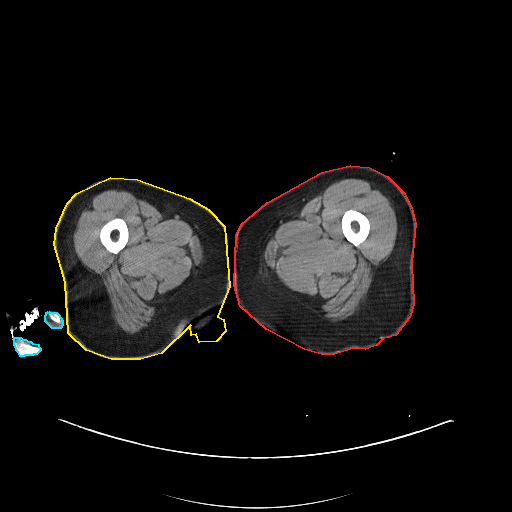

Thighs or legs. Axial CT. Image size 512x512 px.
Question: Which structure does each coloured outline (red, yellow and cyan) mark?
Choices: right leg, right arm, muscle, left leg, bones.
Answer: red: left leg; yellow: right leg; cyan: right arm.
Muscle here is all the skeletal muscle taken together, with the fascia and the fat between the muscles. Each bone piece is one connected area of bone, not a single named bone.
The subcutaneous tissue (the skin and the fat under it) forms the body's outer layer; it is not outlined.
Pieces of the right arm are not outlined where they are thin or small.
Outlines:
left leg: [[350,165],[369,167],[387,176],[403,192],[411,207],[415,223],[411,263],[413,304],[409,317],[395,335],[383,338],[376,345],[365,349],[353,348],[334,354],[321,354],[304,349],[266,329],[240,306],[234,285],[236,234],[241,224],[267,202],[321,172]]
right leg: [[110,177],[137,179],[189,198],[208,209],[224,226],[229,286],[217,316],[223,319],[225,331],[216,341],[199,342],[196,334],[191,335],[190,325],[161,353],[140,359],[111,359],[86,350],[68,333],[65,282],[54,244],[56,228],[67,203],[76,193]]
right arm 1: [[14,337],[20,337],[23,339],[25,339],[28,341],[30,341],[32,343],[38,344],[38,346],[40,348],[40,350],[36,354],[33,354],[32,355],[24,355],[23,356],[20,356],[18,352],[16,350],[15,346],[14,345],[14,340],[13,339]]
right arm 2: [[48,311],[49,312],[56,312],[59,315],[59,316],[61,318],[61,319],[62,320],[62,325],[61,326],[61,327],[60,328],[52,328],[45,321],[45,315],[46,314],[46,312],[47,312]]
muscle 1: [[346,178],[366,180],[383,190],[391,197],[396,212],[397,233],[391,253],[387,259],[381,263],[374,274],[362,307],[347,322],[334,323],[314,314],[287,292],[264,264],[261,257],[261,251],[274,228],[287,215],[299,209],[314,195],[322,191],[330,184]]; inner edge: [[349,209],[354,209],[359,212],[361,212],[367,217],[369,221],[369,225],[370,226],[369,228],[369,233],[364,241],[363,241],[358,246],[355,246],[351,242],[348,241],[346,239],[342,232],[342,229],[341,228],[341,219],[342,218],[342,216],[344,212]]
muscle 2: [[108,189],[121,189],[142,194],[175,211],[193,228],[203,248],[203,261],[200,268],[169,298],[153,316],[145,329],[135,334],[125,332],[115,323],[110,310],[110,299],[104,285],[97,275],[82,264],[75,252],[73,244],[73,233],[82,211],[93,196]]; inner edge: [[116,217],[119,217],[120,218],[122,218],[125,221],[127,225],[127,227],[128,228],[128,240],[125,246],[121,250],[120,250],[116,254],[115,254],[114,253],[112,253],[108,251],[102,244],[100,240],[99,233],[100,232],[100,229],[101,227],[106,222]]
bones 1: [[349,209],[354,209],[359,212],[361,212],[367,217],[369,221],[369,225],[370,226],[369,228],[369,233],[364,241],[363,241],[358,246],[355,246],[351,242],[348,241],[346,239],[342,232],[342,229],[341,228],[341,219],[342,218],[342,216],[344,212]]
bones 2: [[116,217],[119,217],[120,218],[122,218],[125,221],[127,225],[127,227],[128,228],[128,240],[125,246],[121,250],[120,250],[116,254],[115,254],[114,253],[112,253],[108,251],[102,244],[100,240],[99,233],[100,232],[100,229],[101,227],[106,222]]
bones 3: [[17,339],[22,340],[24,342],[30,345],[32,345],[33,346],[37,346],[40,348],[40,350],[36,354],[33,354],[32,355],[24,355],[23,356],[20,356],[18,352],[16,350],[15,348],[15,346],[14,345],[14,340],[16,340]]
bones 4: [[48,312],[56,312],[59,315],[59,316],[60,317],[60,319],[61,320],[61,321],[60,322],[59,322],[58,323],[57,322],[55,322],[54,321],[53,321],[50,318],[50,317],[49,316],[49,315],[48,314]]